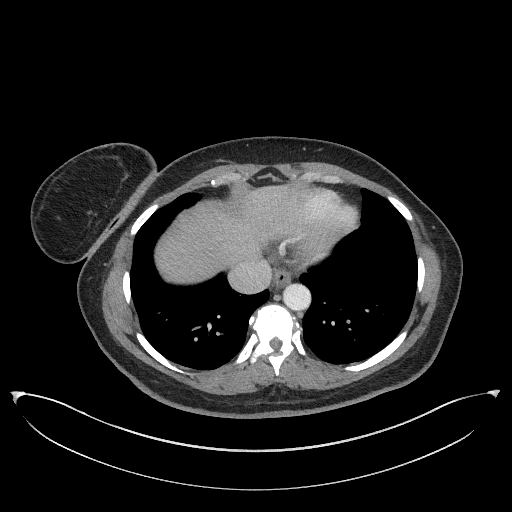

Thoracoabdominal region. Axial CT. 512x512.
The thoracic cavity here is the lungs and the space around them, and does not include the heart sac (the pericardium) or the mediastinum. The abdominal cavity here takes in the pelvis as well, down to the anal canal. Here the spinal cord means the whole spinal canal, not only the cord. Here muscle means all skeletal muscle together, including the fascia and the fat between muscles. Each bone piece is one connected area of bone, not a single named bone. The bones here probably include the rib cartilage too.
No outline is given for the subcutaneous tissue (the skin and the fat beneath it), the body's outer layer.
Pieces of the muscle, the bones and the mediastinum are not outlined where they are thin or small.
{"torso":[[[234,419],[336,409],[420,376],[442,345],[459,297],[463,260],[452,234],[387,167],[328,140],[236,138],[192,150],[161,168],[146,149],[128,142],[94,146],[69,158],[38,187],[30,226],[54,261],[84,261],[76,294],[98,346],[150,397],[184,411]]],"thoracic_cavity":[[[344,364],[367,358],[385,346],[401,330],[409,315],[416,289],[416,255],[410,230],[404,218],[385,198],[366,188],[361,188],[359,227],[344,237],[324,261],[309,268],[300,277],[312,294],[312,303],[301,323],[303,327],[301,337],[306,348],[325,361]],[[194,369],[213,369],[233,359],[245,342],[250,315],[269,294],[267,290],[239,294],[222,273],[188,287],[166,284],[159,277],[153,264],[152,249],[173,218],[201,197],[197,192],[187,192],[159,208],[136,234],[130,285],[141,331],[146,338],[174,363]]],"abdominal_cavity":[[[182,286],[207,281],[229,266],[257,256],[261,247],[257,239],[257,227],[263,214],[294,190],[315,183],[290,180],[282,172],[268,168],[251,178],[225,185],[226,192],[222,196],[206,198],[182,210],[160,235],[153,249],[154,264],[160,277],[166,283]]],"mediastinum":[[[300,322],[311,303],[311,294],[308,288],[299,280],[300,275],[307,269],[300,270],[288,266],[270,257],[261,248],[261,253],[257,257],[239,262],[223,273],[226,274],[231,287],[239,293],[250,294],[267,289],[270,294],[265,303],[275,302],[283,305]],[[360,212],[361,195],[360,194],[360,188],[359,187],[355,185],[351,185],[350,184],[326,184],[321,182],[315,182],[316,183],[315,184],[312,184],[325,184],[326,185],[332,186],[343,192],[345,192],[349,195],[353,201],[355,202],[358,206],[360,210]],[[199,200],[203,199],[206,197],[209,197],[210,196],[218,196],[219,195],[222,195],[224,194],[225,192],[225,186],[223,185],[222,186],[219,186],[215,188],[211,187],[210,186],[209,187],[200,188],[194,191],[197,191],[202,195],[202,197]]],"spinal_cord":[[[275,351],[277,351],[279,349],[279,348],[280,347],[280,346],[281,345],[281,341],[278,338],[277,338],[276,337],[275,337],[274,338],[273,338],[270,341],[270,345],[273,348],[273,349]]],"bones":[{"outer":[[276,376],[279,374],[279,367],[286,356],[294,350],[305,356],[307,351],[300,337],[302,333],[300,323],[283,306],[267,303],[257,308],[251,315],[249,326],[252,331],[233,363],[239,363],[247,359],[250,363],[253,363],[260,355],[264,354],[268,357]],"hole":[[275,351],[277,351],[279,349],[279,348],[280,347],[280,346],[281,345],[281,341],[278,338],[277,338],[276,337],[275,337],[274,338],[273,338],[270,341],[270,345],[273,348],[273,349]]},[[351,371],[358,371],[359,370],[364,369],[384,359],[393,351],[394,351],[403,341],[404,338],[407,334],[407,329],[405,329],[401,331],[385,347],[367,359],[358,363],[350,364],[349,365],[345,366],[344,367],[344,369],[345,370],[350,370]],[[191,376],[194,375],[193,373],[191,373],[187,371],[184,371],[182,369],[179,368],[175,364],[168,360],[159,352],[158,352],[149,343],[141,332],[136,332],[136,337],[140,344],[143,348],[156,360],[165,366],[175,371],[177,371],[184,374],[188,374]],[[326,183],[343,183],[343,180],[340,177],[336,175],[330,175],[329,174],[326,174],[325,175],[323,175],[317,172],[312,172],[310,171],[309,172],[305,172],[300,176],[300,179],[304,181],[321,181],[322,182],[325,182]],[[132,236],[135,235],[135,234],[137,232],[137,231],[144,223],[144,222],[159,207],[159,204],[158,203],[153,203],[152,204],[151,204],[149,206],[148,206],[137,217],[137,218],[133,223],[133,224],[131,227],[131,229],[130,230],[130,234]],[[214,187],[219,185],[226,184],[230,182],[233,182],[240,178],[242,178],[243,179],[245,179],[245,178],[244,178],[241,174],[239,173],[237,173],[236,172],[228,172],[227,173],[219,175],[215,178],[213,178],[210,180],[210,184],[211,186],[213,186]],[[408,221],[411,221],[412,220],[412,215],[411,214],[411,213],[409,211],[409,210],[407,208],[407,207],[402,202],[401,202],[397,198],[396,198],[395,197],[394,197],[391,195],[387,195],[386,196],[386,198],[400,212],[400,213],[405,218],[405,219]],[[416,292],[420,292],[421,291],[421,289],[422,288],[422,286],[423,285],[423,280],[424,279],[424,275],[425,274],[425,268],[424,267],[424,263],[423,262],[423,259],[422,258],[422,257],[420,255],[419,255],[418,256],[417,256],[417,289],[416,290]],[[127,303],[130,303],[132,301],[131,300],[131,292],[130,291],[130,286],[129,285],[129,271],[128,270],[125,270],[123,273],[123,277],[122,278],[122,287],[123,288],[123,292],[124,293],[124,295],[125,296],[125,299],[126,300],[126,301],[127,302]]],"muscle":[[[218,395],[254,392],[274,383],[301,390],[335,388],[368,376],[403,355],[425,332],[436,307],[441,282],[439,256],[417,213],[387,187],[341,166],[317,161],[230,162],[207,169],[155,198],[148,205],[158,202],[160,207],[184,192],[209,186],[209,180],[219,174],[236,171],[248,178],[273,167],[290,179],[293,174],[297,176],[295,179],[299,179],[302,173],[310,170],[336,174],[344,183],[366,187],[384,197],[387,194],[397,197],[413,215],[411,222],[406,221],[416,254],[424,259],[426,274],[422,291],[416,293],[402,329],[407,328],[408,334],[400,346],[384,360],[358,372],[345,371],[343,367],[346,365],[343,364],[325,362],[307,349],[305,357],[294,351],[283,361],[277,377],[264,355],[253,364],[247,360],[234,365],[232,360],[213,370],[194,370],[176,364],[193,372],[195,375],[191,377],[165,367],[142,348],[135,337],[140,328],[133,303],[126,303],[121,287],[122,273],[131,265],[134,236],[129,234],[129,230],[135,218],[117,240],[103,271],[101,305],[105,323],[114,339],[144,363],[193,388]]],"pericardium":[[[300,269],[306,269],[310,266],[320,263],[331,253],[335,245],[344,236],[358,227],[360,217],[359,210],[350,197],[345,193],[325,185],[311,185],[306,188],[294,191],[272,208],[270,208],[262,217],[258,227],[258,239],[262,244],[262,247],[270,256]]]}